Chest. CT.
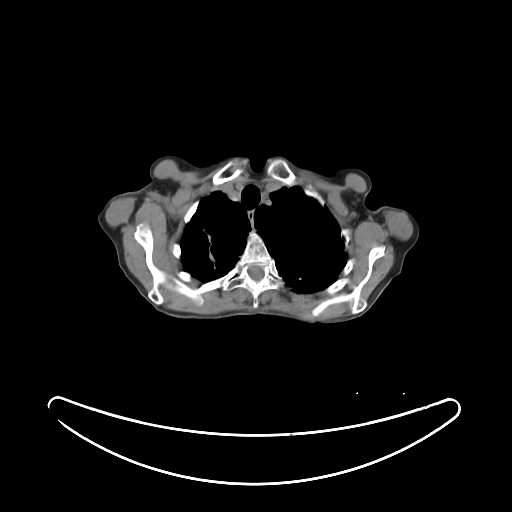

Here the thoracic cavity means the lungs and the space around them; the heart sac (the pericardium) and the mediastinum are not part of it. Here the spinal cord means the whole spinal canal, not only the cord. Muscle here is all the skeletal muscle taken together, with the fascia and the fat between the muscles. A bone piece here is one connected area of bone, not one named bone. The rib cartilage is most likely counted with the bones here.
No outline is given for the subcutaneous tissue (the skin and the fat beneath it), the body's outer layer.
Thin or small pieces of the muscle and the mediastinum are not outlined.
Outlines:
left arm: [[386,204],[388,204],[389,205],[393,205],[394,206],[399,206],[400,207],[405,208],[409,210],[409,211],[411,212],[412,214],[413,214],[419,224],[419,236],[415,244],[404,242],[400,240],[390,231],[386,223],[386,220],[384,215],[384,208]]
spinal cord: [[252,265],[254,265],[255,266],[258,266],[259,267],[260,267],[263,271],[263,275],[262,276],[262,277],[258,280],[256,280],[255,279],[252,278],[250,276],[250,275],[248,272],[248,270],[249,269],[250,266],[251,266]]
torso: [[166,154],[197,165],[243,154],[255,170],[275,154],[325,174],[357,167],[372,182],[366,204],[372,209],[384,205],[389,231],[414,245],[400,274],[371,308],[348,321],[166,315],[125,277],[97,220],[98,215],[121,227],[149,221],[160,204],[149,167]]
thoracic cavity 1: [[283,186],[287,188],[293,186],[300,187],[308,197],[314,199],[328,210],[340,229],[339,233],[343,239],[347,259],[338,277],[322,290],[311,293],[299,293],[287,286],[264,240],[254,228],[255,212],[262,206],[270,206],[272,204],[270,194]]
thoracic cavity 2: [[215,190],[220,190],[230,200],[237,202],[245,210],[246,216],[250,222],[251,229],[247,234],[242,252],[234,265],[225,274],[202,282],[188,271],[184,270],[184,265],[181,259],[182,249],[179,242],[184,227],[191,220],[196,212],[200,200]]
muscle 1: [[236,157],[246,159],[252,172],[261,172],[266,166],[266,173],[280,182],[259,177],[237,180],[196,199],[182,216],[185,224],[179,241],[170,246],[183,265],[175,276],[154,263],[152,229],[137,223],[132,235],[144,251],[151,276],[147,291],[125,263],[121,236],[105,220],[109,204],[122,197],[140,199],[158,189],[162,182],[153,170],[164,159],[174,160],[183,171],[203,175],[224,164],[211,177],[217,187],[244,171]]
muscle 2: [[289,164],[337,184],[344,182],[347,173],[360,175],[366,189],[354,195],[349,205],[357,212],[358,221],[368,216],[378,218],[390,209],[403,211],[411,221],[411,236],[397,244],[392,267],[367,300],[361,296],[362,289],[375,261],[385,254],[386,246],[372,246],[364,276],[349,292],[341,291],[351,281],[348,275],[356,262],[354,257],[348,258],[345,250],[351,229],[340,228],[311,183],[303,189],[296,185],[297,176]]
muscle 3: [[160,285],[190,299],[197,306],[201,306],[204,303],[202,294],[206,292],[220,288],[223,291],[242,288],[251,294],[252,307],[254,309],[259,305],[258,298],[260,294],[268,290],[279,290],[286,286],[299,294],[311,294],[322,291],[329,296],[321,299],[310,310],[312,316],[318,317],[329,306],[341,303],[350,304],[350,314],[329,319],[303,319],[277,310],[235,309],[213,314],[179,311],[162,305],[164,297],[159,289]]
muscle 4: [[193,277],[194,278],[196,278],[198,280],[199,280],[202,283],[200,285],[199,285],[197,287],[191,287],[190,286],[189,286],[186,283],[188,283],[189,282],[190,282],[193,279]]
mediastinum: [[256,178],[259,178],[264,182],[277,182],[283,185],[269,194],[271,200],[270,205],[262,205],[258,207],[254,212],[253,227],[252,227],[251,222],[247,216],[246,210],[237,201],[230,199],[220,189],[221,187],[233,182],[248,179],[255,180]]
bones 1: [[139,223],[151,229],[153,263],[173,277],[188,272],[192,279],[185,283],[191,288],[225,275],[253,228],[285,285],[261,292],[254,308],[252,294],[242,287],[206,291],[197,305],[160,284],[163,302],[155,304],[147,293],[153,281],[145,251],[133,235]] with a hole at [[252,265],[254,265],[255,266],[258,266],[259,267],[260,267],[263,271],[263,275],[262,276],[262,277],[258,280],[256,280],[255,279],[252,278],[250,276],[250,275],[248,272],[248,270],[249,269],[250,266],[251,266]]
bones 2: [[376,245],[385,249],[361,289],[360,296],[367,301],[365,308],[353,314],[351,304],[341,302],[312,315],[311,310],[330,296],[323,290],[343,275],[349,258],[355,259],[347,275],[350,281],[340,291],[349,293],[359,283],[367,272],[369,251]]
bones 3: [[275,159],[283,159],[287,162],[290,169],[296,176],[296,179],[295,180],[296,181],[296,184],[295,185],[293,185],[292,186],[287,186],[286,185],[284,185],[280,181],[273,178],[267,173],[266,171],[266,168],[268,164],[271,161]]
bones 4: [[232,158],[236,161],[236,165],[238,167],[240,167],[242,168],[243,169],[243,171],[237,177],[236,177],[234,179],[232,179],[231,180],[226,181],[217,186],[215,186],[212,183],[212,177],[213,175],[220,168],[221,168],[226,163],[226,162],[228,160]]
bones 5: [[308,184],[311,184],[312,187],[321,195],[321,196],[324,200],[324,205],[323,205],[322,206],[318,202],[318,201],[317,200],[316,200],[314,198],[313,198],[310,196],[308,196],[304,192],[304,191],[303,190],[306,186],[306,185],[307,185]]
bones 6: [[196,200],[198,200],[199,201],[199,202],[198,203],[198,205],[197,206],[197,208],[196,209],[195,212],[191,217],[190,220],[187,223],[185,223],[183,220],[183,216],[184,215],[184,214],[186,212],[186,211],[188,209],[188,208]]
bones 7: [[346,227],[347,227],[348,228],[349,228],[350,229],[350,239],[349,240],[349,241],[348,242],[348,244],[347,245],[347,246],[346,247],[345,247],[345,245],[344,244],[344,239],[341,236],[341,234],[340,233],[340,230],[342,228],[345,228]]
bones 8: [[173,243],[178,243],[179,244],[179,245],[180,246],[180,248],[181,249],[181,254],[180,255],[180,258],[177,258],[176,257],[175,257],[173,255],[173,254],[172,253],[172,252],[171,251],[171,246],[172,245],[172,244]]
right arm: [[150,179],[155,184],[157,188],[158,196],[159,197],[159,204],[155,214],[149,220],[136,225],[121,226],[120,225],[117,225],[114,223],[111,223],[103,219],[98,214],[102,209],[105,202],[111,196],[119,192],[123,192],[128,190],[135,190],[146,184]]